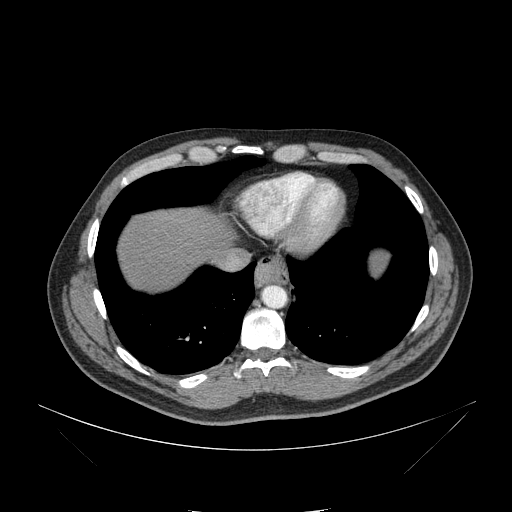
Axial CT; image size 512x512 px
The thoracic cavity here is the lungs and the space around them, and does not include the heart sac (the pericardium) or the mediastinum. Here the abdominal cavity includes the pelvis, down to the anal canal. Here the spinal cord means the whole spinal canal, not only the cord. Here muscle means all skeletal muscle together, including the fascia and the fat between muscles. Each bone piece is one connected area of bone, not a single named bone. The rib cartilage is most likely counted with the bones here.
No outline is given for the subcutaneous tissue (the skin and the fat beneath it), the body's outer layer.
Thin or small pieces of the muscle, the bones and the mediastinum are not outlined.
{"abdominal_cavity":[[[150,295],[155,295],[174,289],[183,283],[196,269],[202,265],[218,267],[222,264],[225,254],[233,247],[238,237],[218,211],[218,209],[212,204],[160,208],[139,214],[134,214],[130,217],[118,236],[116,244],[116,256],[118,265],[124,280],[132,289]],[[374,281],[378,281],[381,279],[387,270],[389,266],[389,264],[391,261],[391,258],[392,257],[392,254],[391,252],[387,248],[383,246],[376,246],[375,247],[373,247],[368,251],[368,253],[367,254],[367,257],[366,258],[366,272],[368,276]]],"spinal_cord":[[[264,361],[265,361],[266,360],[268,360],[274,356],[274,352],[272,349],[271,349],[270,348],[267,348],[266,347],[262,347],[261,348],[259,348],[255,351],[255,353],[254,354],[255,355],[255,357],[256,358],[259,358],[261,360],[263,360]]],"pericardium":[[[296,257],[309,256],[333,236],[342,226],[346,218],[346,195],[343,186],[331,176],[321,171],[303,168],[275,168],[250,176],[245,180],[242,180],[233,185],[222,199],[219,205],[219,211],[233,228],[236,234],[240,238],[254,246],[270,250],[282,250]]],"torso":[[[209,426],[343,412],[419,382],[446,353],[471,292],[470,252],[457,222],[438,193],[409,157],[392,143],[373,134],[335,128],[201,127],[169,132],[147,139],[118,156],[79,208],[53,256],[46,285],[50,315],[62,345],[75,364],[100,386],[161,414]]],"thoracic_cavity":[{"outer":[[338,365],[365,363],[397,344],[411,326],[423,303],[429,275],[428,244],[420,215],[404,192],[369,164],[349,165],[359,183],[359,196],[355,206],[353,225],[342,228],[305,260],[295,259],[288,255],[286,258],[295,298],[285,319],[287,341],[308,357]],"hole":[[374,281],[378,281],[381,279],[387,270],[389,266],[389,264],[391,261],[391,258],[392,257],[392,254],[391,252],[387,248],[383,246],[376,246],[375,247],[373,247],[368,251],[368,253],[367,254],[367,257],[366,258],[366,272],[368,276]]},[[182,377],[216,365],[238,344],[254,295],[256,262],[236,272],[202,266],[174,290],[150,296],[123,280],[115,256],[117,236],[134,213],[211,203],[242,171],[263,165],[261,157],[148,174],[122,189],[101,221],[94,254],[98,287],[122,345],[156,371]]],"bones":[{"outer":[[237,378],[242,376],[241,373],[244,369],[251,367],[260,368],[265,376],[276,365],[286,366],[292,371],[296,369],[295,361],[288,360],[281,353],[286,343],[286,335],[284,321],[276,311],[257,307],[246,312],[242,322],[239,345],[248,352],[233,372]],"hole":[[264,361],[265,361],[266,360],[268,360],[274,356],[274,352],[272,349],[271,349],[270,348],[267,348],[266,347],[262,347],[261,348],[259,348],[255,351],[255,353],[254,354],[255,355],[255,357],[256,358],[259,358],[261,360],[263,360]]},[[121,189],[148,173],[169,167],[176,167],[186,161],[201,165],[217,161],[228,150],[235,154],[256,155],[262,155],[264,151],[258,145],[248,144],[239,144],[230,149],[225,145],[214,147],[193,146],[185,153],[172,153],[138,165],[122,177],[119,185]],[[286,163],[298,163],[298,162],[303,158],[308,156],[309,155],[309,153],[306,147],[304,145],[302,145],[301,144],[288,144],[287,145],[283,145],[282,146],[280,146],[275,150],[274,150],[271,154],[271,157],[276,161],[278,161],[279,162],[285,162]],[[344,164],[349,164],[350,163],[369,163],[370,164],[370,161],[366,157],[360,154],[356,154],[355,153],[346,153],[345,152],[335,152],[334,151],[320,151],[319,152],[317,152],[312,157],[312,158],[314,159],[317,159],[326,163],[343,163]],[[345,378],[350,378],[351,377],[355,377],[366,372],[370,368],[370,364],[366,363],[365,364],[357,365],[356,366],[338,366],[337,365],[327,365],[326,367],[326,370],[327,372],[331,374],[333,374],[337,376],[340,376],[341,377],[344,377]],[[149,376],[151,375],[151,373],[146,368],[146,367],[140,362],[139,362],[126,349],[125,349],[121,345],[119,344],[116,344],[114,346],[114,348],[116,352],[119,355],[119,356],[128,365],[129,365],[137,371],[143,374],[148,375]],[[89,258],[92,258],[93,257],[93,254],[95,249],[95,244],[96,243],[96,239],[97,238],[97,233],[98,232],[99,225],[100,224],[100,219],[98,217],[96,217],[94,219],[90,227],[89,233],[88,234],[88,237],[87,238],[87,254]],[[185,388],[189,388],[190,387],[193,387],[199,384],[201,382],[204,381],[208,378],[208,374],[204,372],[200,372],[197,374],[194,374],[191,376],[189,376],[188,377],[184,377],[183,378],[180,378],[176,380],[176,382],[179,386],[181,387],[184,387]],[[106,320],[108,319],[108,317],[107,316],[107,313],[106,312],[105,305],[103,302],[103,300],[102,299],[102,297],[101,296],[100,291],[97,287],[93,287],[93,298],[94,299],[95,304],[98,309],[98,311],[99,313],[102,316],[102,317]],[[420,214],[422,214],[423,213],[423,207],[422,206],[420,198],[418,196],[418,195],[408,185],[405,185],[404,186],[404,191],[405,193],[407,195],[407,196],[409,198],[409,199],[411,201],[411,202],[413,204],[413,205],[415,207],[417,211]],[[406,335],[408,335],[411,332],[415,330],[416,328],[425,318],[429,310],[429,304],[428,303],[424,303],[422,305],[419,312],[417,314],[417,316],[412,326],[410,328],[410,329],[408,331]],[[433,276],[434,275],[435,275],[435,274],[436,273],[436,271],[437,270],[437,261],[438,260],[438,257],[437,256],[437,252],[436,251],[436,249],[434,247],[434,246],[433,245],[429,245],[429,270],[430,271],[430,274],[431,275],[432,275]]],"muscle":[[[221,410],[250,403],[263,393],[314,401],[339,397],[405,366],[445,330],[458,291],[451,247],[416,186],[383,156],[366,148],[317,141],[249,144],[260,145],[270,156],[280,145],[304,144],[310,153],[299,162],[304,164],[325,163],[311,158],[320,150],[360,153],[403,190],[408,184],[421,198],[428,243],[435,246],[439,257],[437,273],[429,276],[424,300],[430,310],[415,331],[368,362],[371,368],[366,373],[350,379],[327,373],[327,364],[308,358],[287,342],[282,353],[296,361],[294,372],[276,366],[265,377],[260,369],[251,368],[237,379],[232,372],[247,352],[238,345],[221,363],[203,371],[209,374],[207,380],[185,389],[175,382],[181,376],[148,367],[152,375],[143,375],[128,366],[113,348],[121,344],[92,298],[97,278],[94,260],[86,254],[86,238],[93,219],[98,216],[101,220],[120,190],[121,177],[138,164],[185,152],[193,145],[225,144],[230,148],[244,143],[241,140],[218,136],[176,144],[127,166],[101,193],[81,234],[69,283],[62,291],[62,307],[73,339],[108,371],[183,404]]],"mediastinum":[[[284,320],[294,299],[285,258],[288,254],[295,258],[299,259],[305,259],[308,257],[306,258],[305,258],[296,258],[282,251],[260,249],[239,238],[234,247],[226,254],[223,264],[218,268],[236,271],[251,261],[256,261],[257,265],[254,270],[255,295],[247,310],[257,306],[265,306],[276,310]],[[341,228],[352,225],[354,206],[358,196],[357,179],[348,165],[343,164],[286,164],[276,162],[269,156],[259,156],[263,157],[266,163],[242,172],[212,203],[218,208],[221,199],[233,184],[262,171],[275,167],[317,169],[331,175],[345,188],[347,218]]]}